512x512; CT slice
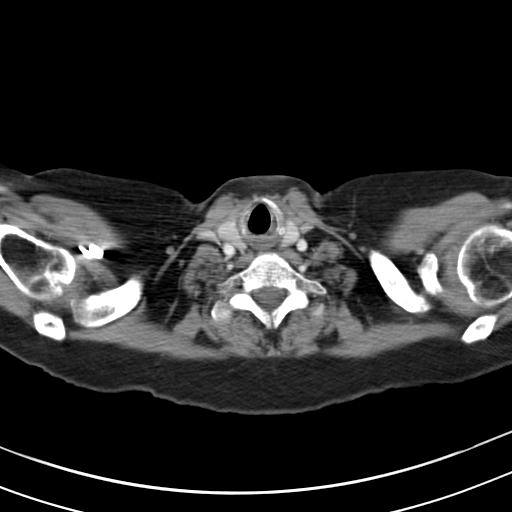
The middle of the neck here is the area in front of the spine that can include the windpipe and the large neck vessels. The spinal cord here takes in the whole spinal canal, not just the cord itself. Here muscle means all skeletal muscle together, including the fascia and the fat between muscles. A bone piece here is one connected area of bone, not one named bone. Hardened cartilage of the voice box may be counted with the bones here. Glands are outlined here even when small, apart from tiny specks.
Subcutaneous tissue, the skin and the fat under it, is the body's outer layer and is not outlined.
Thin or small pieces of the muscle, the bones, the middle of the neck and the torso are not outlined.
Outlined structures:
right arm: 1,163 10,167 18,169 27,174 32,174 38,171 50,168 55,168 56,167 73,167 82,170 88,175 89,178 127,237 119,281 49,321 42,326 18,323 17,322 10,322 0,317 0,164
spinal cord: 263,287 275,287 279,289 283,289 285,290 285,295 283,299 281,301 281,302 271,311 268,311 264,309 262,307 261,307 256,302 256,301 253,297 253,295 252,293 254,291 258,289 260,289
torso: 458,167 493,174 435,202 416,265 426,292 495,372 248,416 77,388 0,349 0,318 42,327 120,281 128,237 83,170 187,197 195,251 180,298 208,344 268,358 321,353 359,278 360,252 328,189 374,172
bones 1: 266,252 278,253 295,270 325,287 325,294 307,294 310,307 324,304 323,314 312,316 309,307 295,309 276,328 267,328 248,310 234,310 228,321 214,320 210,314 212,304 232,294 222,282 246,268 255,256; inner edge: 263,287 275,287 279,289 283,289 285,290 285,295 283,299 281,301 281,302 271,311 268,311 264,309 262,307 261,307 256,302 256,301 253,297 253,295 252,293 254,291 258,289 260,289
bones 2: 4,223 16,225 21,229 36,237 60,245 68,249 71,252 76,261 75,274 72,281 69,284 64,286 63,288 64,291 61,296 51,301 39,301 28,297 22,293 17,288 8,275 0,266 0,224 3,224
bones 3: 487,224 495,224 511,230 511,297 500,303 491,306 478,305 473,302 469,298 465,287 459,280 456,271 458,253 464,240 470,234 470,233 474,230 483,225 486,225
bones 4: 132,275 134,275 139,279 144,285 142,295 135,307 124,315 110,322 108,322 103,325 97,326 96,327 85,327 75,321 74,313 73,312 73,308 74,306 74,307 76,308 84,298 91,294 98,293 119,286
bones 5: 371,249 379,250 382,253 385,254 403,274 410,287 415,292 419,294 422,294 425,297 430,306 430,308 427,311 425,312 417,312 416,313 408,312 399,305 396,304 388,297 383,290 370,266 368,260 368,253
bones 6: 427,252 432,252 434,253 437,257 437,261 438,262 437,278 438,279 438,281 444,289 443,292 437,293 435,295 431,295 427,293 424,290 423,286 421,283 421,280 416,271 417,266 420,263 423,256
bones 7: 42,310 50,312 55,315 57,315 61,317 63,320 63,323 65,327 65,332 66,333 65,338 63,340 61,341 54,340 51,338 43,336 37,332 34,327 34,324 33,323 33,314 36,312 38,312
bones 8: 484,314 496,314 497,315 497,319 494,324 494,326 493,327 493,329 491,333 486,338 482,340 479,340 478,341 476,341 475,342 473,342 469,344 467,344 463,342 460,338 467,326 477,317 481,315 483,315
bones 9: 263,196 273,201 278,206 282,213 281,215 281,219 282,220 282,222 278,224 277,226 277,231 276,230 277,228 276,227 276,224 273,217 273,214 270,208 266,203 259,201 258,200 258,199 260,197 262,197
thyroid glands 1: 233,217 235,217 236,218 236,224 237,225 237,228 238,229 239,234 245,243 245,247 243,249 240,249 231,244 226,243 222,239 221,239 216,233 216,229 220,224 221,224 224,221 228,220 230,218 232,218
thyroid glands 2: 289,218 292,219 295,222 299,230 299,237 298,239 291,245 289,245 287,247 284,247 283,248 281,248 280,247 280,242 281,241 282,236 284,235 286,231 286,226 284,223 284,221
middle of the neck: 260,202 269,208 277,232 283,220 281,249 299,239 301,225 311,225 312,235 305,251 292,248 281,253 266,251 229,259 214,244 201,239 201,234 212,233 243,250 246,243 237,221 240,217 244,236 249,209
head and neck: 262,172 280,173 305,180 320,192 323,192 327,189 359,252 358,278 338,320 336,328 321,352 261,357 249,355 208,343 180,296 185,265 196,251 188,197 195,201 202,200 207,197 222,182 233,178 259,174
muscle: 0,181 82,202 148,246 195,221 228,192 295,186 321,215 383,223 400,209 460,192 511,188 511,229 495,223 474,229 455,266 476,305 491,307 511,298 511,322 492,333 498,315 477,316 459,338 467,345 484,340 473,347 288,364 192,363 116,349 62,348 42,341 22,319 0,308 0,267 22,294 51,302 73,281 77,261 60,244 0,223 with holes at 263,196 282,220 299,229 311,225 305,251 279,254 325,287 325,294 307,294 310,307 324,304 323,314 295,309 276,328 248,310 216,321 212,304 232,294 222,282 254,257 229,259 200,236 216,235 and at 132,275 134,275 139,279 144,285 142,295 135,307 124,315 110,322 108,322 103,325 97,326 96,327 85,327 75,321 74,313 73,312 73,308 74,306 74,307 76,308 84,298 91,294 98,293 119,286 and at 371,249 379,250 382,253 385,254 403,274 410,287 415,292 419,294 422,294 425,297 430,306 430,308 427,311 425,312 417,312 416,313 408,312 399,305 396,304 388,297 383,290 370,266 368,260 368,253 and at 427,252 432,252 434,253 437,257 437,261 438,262 437,278 438,279 438,281 444,289 443,292 437,293 435,295 431,295 427,293 424,290 423,286 421,283 421,280 416,271 417,266 420,263 423,256 and at 42,310 50,312 55,315 57,315 61,317 63,320 63,323 65,327 65,332 66,333 65,338 63,340 61,341 54,340 51,338 43,336 37,332 34,327 34,324 33,323 33,314 36,312 38,312
left arm: 494,174 497,174 498,175 511,175 511,366 508,366 499,370 461,332 460,332 456,326 427,292 423,284 422,278 417,265 436,202 450,195 452,195 475,183 477,183